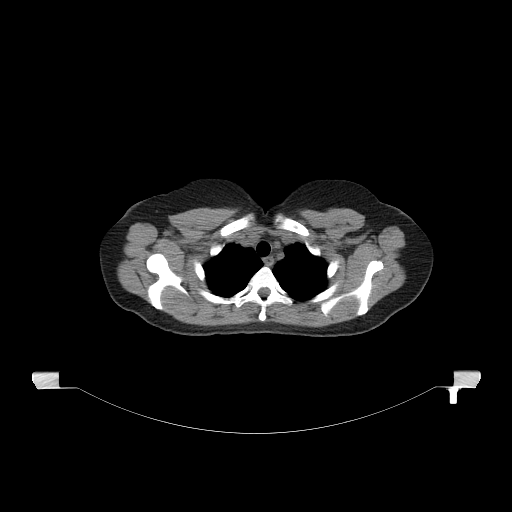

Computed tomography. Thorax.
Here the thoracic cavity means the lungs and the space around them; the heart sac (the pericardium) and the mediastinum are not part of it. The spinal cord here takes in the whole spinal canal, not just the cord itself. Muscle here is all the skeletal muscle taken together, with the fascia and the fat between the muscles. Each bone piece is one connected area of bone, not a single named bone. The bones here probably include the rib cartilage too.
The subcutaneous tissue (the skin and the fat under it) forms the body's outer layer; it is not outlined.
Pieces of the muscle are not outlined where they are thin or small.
The right arm is outlined by [[118,219],[119,226],[124,239],[124,246],[125,247],[125,268],[123,274],[123,280],[122,281],[121,290],[118,296],[118,299],[116,304],[110,297],[103,281],[103,278],[100,270],[100,265],[99,264],[98,250],[99,249],[99,243],[103,234]]. The left arm is outlined by [[411,218],[412,218],[425,232],[432,243],[434,257],[433,258],[433,265],[432,266],[432,270],[429,277],[427,276],[427,275],[423,271],[417,259],[415,252],[413,249],[413,246],[411,242],[411,237],[410,236],[410,221],[411,220]]. The torso is outlined by [[206,176],[238,183],[265,210],[309,180],[338,178],[360,183],[381,201],[398,207],[411,217],[409,236],[412,249],[429,278],[409,305],[376,328],[355,335],[311,337],[240,333],[189,336],[150,325],[117,305],[126,268],[125,239],[119,218],[137,201]]. The bones appear in 9 outlined pieces: piece 1: [[263,266],[271,269],[280,286],[293,299],[291,305],[281,302],[268,305],[264,321],[260,321],[258,318],[261,307],[253,301],[247,301],[236,307],[233,303],[211,302],[198,292],[200,288],[207,289],[215,295],[230,297],[241,291],[251,277]]; inner edge: [[265,287],[266,288],[268,288],[269,289],[269,293],[268,294],[268,295],[267,295],[266,296],[266,299],[262,299],[262,298],[259,295],[259,294],[258,293],[258,291],[261,288],[264,288]]; piece 2: [[371,260],[380,260],[383,268],[375,272],[371,278],[371,291],[366,313],[359,316],[356,314],[358,301],[353,296],[340,300],[326,316],[320,308],[320,302],[308,302],[309,299],[336,282],[338,286],[332,295],[334,297],[356,288],[362,282],[366,267]]; piece 3: [[152,253],[161,253],[164,255],[170,269],[181,277],[182,279],[180,284],[188,293],[187,295],[171,285],[166,286],[160,297],[163,307],[162,310],[155,308],[149,302],[147,293],[148,287],[158,278],[158,276],[155,273],[150,272],[146,266],[146,260]]; piece 4: [[278,215],[283,215],[284,216],[289,217],[294,220],[296,220],[301,224],[304,225],[307,228],[309,234],[307,236],[304,236],[303,235],[301,235],[298,233],[296,233],[289,230],[278,228],[277,227],[277,225],[278,224],[276,222],[275,222],[275,219]]; piece 5: [[246,214],[250,214],[251,215],[251,219],[250,220],[250,224],[247,227],[246,227],[245,228],[243,228],[242,229],[240,229],[239,230],[237,230],[226,236],[222,236],[220,234],[220,229],[224,225],[229,223],[233,220],[238,219],[242,216],[243,216]]; piece 6: [[195,260],[197,260],[199,262],[200,262],[201,263],[201,264],[203,267],[203,269],[204,270],[204,273],[205,274],[205,280],[204,281],[201,281],[200,280],[200,279],[197,276],[197,275],[196,274],[196,273],[194,270],[194,261]]; piece 7: [[336,259],[337,259],[339,262],[339,263],[338,264],[338,267],[337,268],[337,269],[336,270],[336,271],[335,272],[335,273],[330,278],[328,278],[327,277],[327,273],[326,272],[327,271],[327,267],[328,266],[328,264],[332,260],[335,260]]; piece 8: [[305,241],[307,241],[312,246],[318,246],[319,247],[319,249],[320,250],[320,252],[321,253],[321,254],[320,255],[320,256],[317,256],[316,255],[314,255],[313,254],[312,254],[308,250],[308,249],[307,248],[307,247],[306,246],[306,245],[305,244]]; piece 9: [[217,244],[223,244],[224,245],[223,246],[223,247],[222,248],[222,249],[216,255],[215,255],[214,256],[210,256],[210,248],[213,245],[216,245]]. The mediastinum is outlined by [[263,232],[283,237],[291,237],[297,241],[288,244],[283,248],[283,254],[284,255],[283,258],[276,262],[272,268],[267,265],[264,265],[262,260],[252,247],[250,246],[244,247],[241,246],[239,243],[234,242],[234,241],[243,238],[245,236],[257,235]]. The muscle appears in 2 outlined pieces: piece 1: [[198,207],[239,207],[260,218],[301,208],[323,211],[327,207],[351,207],[365,216],[377,235],[390,225],[403,230],[406,248],[401,264],[406,279],[369,309],[372,278],[384,268],[380,259],[367,263],[356,287],[334,296],[339,283],[328,286],[328,279],[339,267],[337,258],[328,263],[318,245],[263,231],[213,244],[209,259],[203,264],[193,261],[196,276],[209,288],[197,289],[204,299],[236,308],[253,302],[260,307],[259,321],[215,326],[181,322],[162,311],[161,297],[166,287],[189,295],[181,284],[182,277],[171,269],[163,253],[152,252],[145,260],[146,269],[157,276],[146,289],[148,302],[122,287],[116,266],[130,225],[148,222],[162,229],[168,223],[168,215]]; inner edges: [[278,215],[283,215],[284,216],[289,217],[294,220],[296,220],[301,224],[304,225],[307,228],[309,234],[307,236],[304,236],[303,235],[301,235],[298,233],[296,233],[289,230],[278,228],[277,227],[277,225],[278,224],[276,222],[275,222],[275,219]], then [[246,214],[250,214],[251,215],[251,219],[250,220],[250,224],[247,227],[246,227],[245,228],[243,228],[242,229],[240,229],[239,230],[237,230],[226,236],[222,236],[220,234],[220,229],[224,225],[229,223],[233,220],[238,219],[242,216],[243,216]]; piece 2: [[351,297],[353,297],[357,301],[357,307],[355,312],[357,316],[349,320],[321,327],[265,322],[267,318],[267,307],[274,303],[281,303],[287,306],[291,306],[294,300],[307,300],[308,303],[320,303],[319,308],[326,317],[340,301],[345,298]]. The spinal cord is outlined by [[265,287],[266,288],[268,288],[269,289],[269,293],[268,294],[268,295],[267,295],[266,296],[266,299],[262,299],[262,298],[259,295],[259,294],[258,293],[258,291],[261,288],[264,288]]. The thoracic cavity appears in 2 outlined pieces: piece 1: [[298,241],[303,243],[307,250],[312,255],[317,257],[321,257],[327,263],[326,271],[325,272],[327,278],[327,287],[306,300],[297,300],[290,296],[281,286],[272,270],[275,264],[279,261],[281,261],[284,258],[285,256],[284,248],[288,245],[293,244]]; piece 2: [[230,242],[233,242],[235,244],[239,244],[241,247],[244,248],[248,247],[252,248],[261,260],[263,265],[250,277],[246,285],[241,290],[230,296],[221,296],[215,294],[210,290],[206,281],[206,274],[203,265],[211,257],[216,256],[223,249],[224,246]].